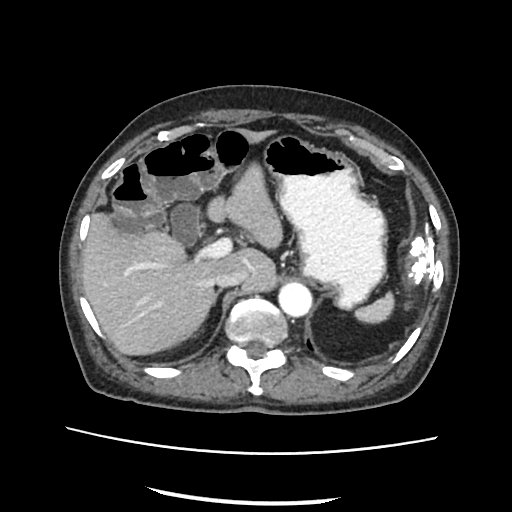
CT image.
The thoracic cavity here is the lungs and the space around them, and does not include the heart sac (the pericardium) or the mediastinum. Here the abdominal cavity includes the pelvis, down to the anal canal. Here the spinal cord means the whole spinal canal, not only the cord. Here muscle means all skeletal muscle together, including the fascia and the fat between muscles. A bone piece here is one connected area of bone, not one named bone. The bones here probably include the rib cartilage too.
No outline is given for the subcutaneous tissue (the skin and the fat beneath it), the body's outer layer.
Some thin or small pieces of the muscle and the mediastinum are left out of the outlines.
Outlines (x, y in pixels):
abdominal cavity: (346, 368) (393, 355) (431, 289) (435, 230) (420, 192) (401, 172) (345, 135) (312, 134) (275, 116) (196, 128) (146, 149) (111, 178) (91, 214) (80, 263) (84, 295) (118, 351) (155, 366) (195, 360) (217, 343) (236, 299) (299, 277) (320, 291) (303, 331) (324, 364)
spinal cord: (253, 358) (258, 358) (259, 357) (261, 357) (263, 356) (264, 353) (267, 350) (267, 347) (265, 345) (265, 344) (264, 344) (263, 342) (259, 340) (252, 340) (251, 341) (249, 341) (247, 342) (244, 346) (244, 348) (247, 351) (247, 354) (250, 357) (252, 357)
thoracic cavity: (322, 363) (324, 363) (325, 362) (325, 360) (318, 354) (317, 354) (312, 349) (313, 347) (311, 345) (308, 339) (307, 335) (304, 332) (303, 332) (300, 336) (296, 334) (294, 334) (293, 335) (293, 337) (300, 344) (300, 345) (303, 347) (304, 349) (316, 360) (320, 361)
bones 1: (254, 395) (260, 395) (263, 391) (259, 385) (261, 373) (286, 362) (286, 357) (279, 345) (288, 336) (287, 323) (280, 310) (261, 297) (240, 299) (231, 308) (224, 326) (225, 334) (232, 342) (226, 353) (227, 360) (232, 365) (242, 366) (248, 372) (251, 384) (247, 390), around a hole outlined by (253, 358) (258, 358) (259, 357) (261, 357) (263, 356) (264, 353) (267, 350) (267, 347) (265, 345) (265, 344) (264, 344) (263, 342) (259, 340) (252, 340) (251, 341) (249, 341) (247, 342) (244, 346) (244, 348) (247, 351) (247, 354) (250, 357) (252, 357)
bones 2: (403, 172) (405, 171) (405, 166) (403, 162) (396, 156) (392, 155) (377, 147) (375, 145) (355, 136) (350, 131) (346, 129) (336, 129) (334, 131) (335, 134) (345, 134) (348, 137) (348, 140) (353, 144) (367, 149) (381, 163) (383, 163) (390, 169) (399, 170)
bones 3: (160, 141) (171, 141) (180, 135) (188, 131) (190, 131) (196, 127) (201, 127) (206, 125) (206, 124) (204, 122) (195, 122) (192, 124) (184, 124) (183, 125) (181, 125) (171, 129) (162, 129) (161, 130) (159, 130) (157, 132) (155, 137) (156, 139)
bones 4: (342, 381) (347, 380) (354, 375) (354, 372) (352, 370) (350, 369) (346, 369) (345, 368) (335, 367) (334, 366) (324, 365) (323, 364) (320, 364) (316, 362) (315, 363) (315, 364) (317, 364) (320, 367) (321, 371) (323, 374) (329, 377) (332, 377) (333, 378) (335, 378)
bones 5: (393, 364) (397, 362) (410, 349) (410, 348) (413, 345) (413, 344) (415, 342) (416, 339) (418, 337) (420, 333) (420, 331) (421, 330) (421, 326) (417, 326) (412, 331) (412, 332) (407, 338) (405, 342) (396, 352) (394, 356) (392, 358) (390, 358) (389, 359) (390, 362)
bones 6: (161, 378) (171, 378) (172, 377) (174, 377) (177, 375) (179, 375) (181, 373) (181, 370) (179, 368) (175, 368) (174, 367) (155, 367) (154, 366) (146, 366) (143, 368) (143, 370) (144, 371) (144, 372) (145, 372) (150, 375) (152, 375) (155, 377) (160, 377)
bones 7: (103, 339) (105, 338) (105, 336) (101, 332) (99, 328) (99, 326) (95, 319) (95, 317) (89, 306) (89, 304) (87, 302) (84, 296) (82, 295) (80, 296) (79, 297) (80, 305) (82, 308) (82, 310) (87, 320) (89, 322) (89, 323) (91, 325) (95, 332) (101, 338)
bones 8: (433, 292) (439, 289) (442, 283) (442, 281) (443, 280) (443, 267) (442, 266) (442, 263) (440, 259) (437, 259) (437, 261) (435, 265) (435, 268) (433, 272) (433, 283) (432, 284) (432, 289) (431, 290)
bones 9: (101, 179) (106, 179) (107, 178) (109, 178) (110, 177) (111, 177) (121, 167) (122, 167) (122, 166) (125, 163) (125, 162) (126, 161) (126, 158) (125, 157) (120, 157) (116, 160) (115, 160) (112, 163) (111, 163) (104, 170) (104, 171) (102, 173) (102, 174) (101, 175)
bones 10: (436, 232) (437, 232) (440, 229) (441, 227) (441, 224) (440, 223) (440, 220) (439, 219) (438, 214) (434, 206) (432, 204) (429, 204) (428, 205) (428, 209) (429, 210) (429, 213) (430, 214) (430, 218) (431, 219) (431, 221) (432, 222) (433, 227) (436, 230)
bones 11: (81, 241) (83, 241) (85, 239) (85, 236) (87, 233) (87, 228) (89, 225) (89, 218) (90, 217) (90, 214) (89, 214) (88, 213) (87, 214) (85, 214) (84, 215) (84, 216) (81, 221) (81, 224) (80, 225) (80, 230) (79, 231) (79, 237) (80, 238) (80, 240)
muscle: (288, 404) (369, 396) (401, 382) (413, 368) (431, 336) (450, 276) (449, 231) (439, 201) (425, 176) (398, 149) (367, 129) (343, 120) (228, 108) (209, 109) (151, 126) (127, 141) (99, 169) (78, 210) (68, 249) (70, 288) (88, 350) (97, 366) (111, 378) (134, 389) (216, 403) (229, 403) (251, 394) (246, 390) (250, 384) (247, 372) (226, 360) (231, 342) (224, 332) (205, 355) (178, 366) (182, 370) (179, 376) (155, 378) (143, 372) (147, 364) (123, 356) (101, 339) (79, 305) (83, 290) (78, 231) (83, 215) (93, 211) (110, 179) (101, 180) (100, 175) (118, 157) (125, 156) (128, 161) (163, 142) (154, 137) (159, 129) (195, 121) (207, 125) (238, 124) (275, 115) (289, 118) (316, 134) (334, 134) (336, 128) (346, 128) (399, 157) (406, 166) (402, 173) (439, 214) (442, 227) (436, 233) (436, 247) (437, 258) (444, 267) (444, 280) (438, 291) (430, 293) (417, 325) (422, 326) (421, 333) (411, 349) (393, 365) (388, 359) (351, 369) (355, 375) (342, 382) (323, 375) (314, 364) (321, 363) (289, 333) (280, 345) (287, 362) (262, 373) (260, 385) (264, 391) (254, 396)
mediastinum: (299, 335) (302, 332) (303, 322) (306, 319) (311, 308) (319, 296) (319, 291) (317, 289) (311, 286) (306, 281) (304, 282) (299, 278) (286, 278) (274, 282) (258, 294) (253, 295) (254, 297) (261, 296) (264, 297) (274, 303) (284, 315) (288, 323) (289, 332) (296, 333)
torso: (272, 415) (375, 408) (401, 401) (419, 387) (443, 341) (457, 287) (458, 224) (450, 200) (421, 149) (399, 126) (376, 111) (346, 98) (290, 86) (243, 83) (205, 87) (170, 97) (139, 113) (81, 178) (59, 241) (61, 306) (73, 351) (92, 390) (120, 400) (170, 409)